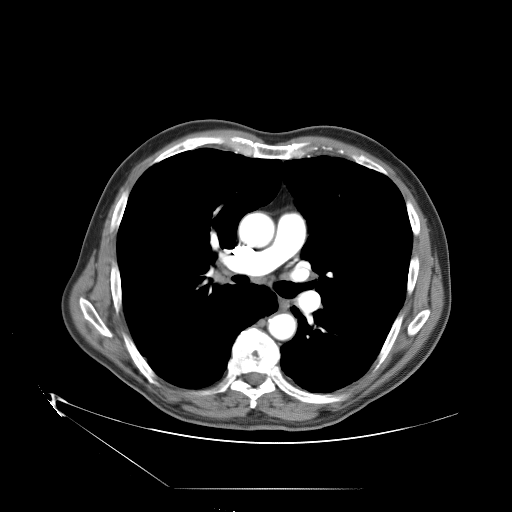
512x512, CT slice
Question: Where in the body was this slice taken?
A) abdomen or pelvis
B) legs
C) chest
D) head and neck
Answer: C) chest
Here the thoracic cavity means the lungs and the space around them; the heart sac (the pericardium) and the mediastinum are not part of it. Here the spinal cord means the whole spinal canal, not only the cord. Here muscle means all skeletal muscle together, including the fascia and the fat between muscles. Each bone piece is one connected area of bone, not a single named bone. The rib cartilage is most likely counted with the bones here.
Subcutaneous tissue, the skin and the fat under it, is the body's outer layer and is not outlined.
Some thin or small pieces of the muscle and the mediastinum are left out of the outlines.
The mediastinum appears in 2 outlined pieces: piece 1: 237 228; 237 237; 243 244; 283 268; 298 261; 306 239; 301 258; 310 264; 310 276; 289 284; 293 294; 298 294; 297 305; 290 307; 297 329; 280 347; 253 325; 271 303; 268 290; 246 277; 230 276; 225 265; 228 252; 237 243; piece 2: 282 180; 283 180; 289 192; 292 195; 294 205; 299 213; 295 209; 295 208; 292 206; 287 206; 279 210; 275 210; 274 211; 266 211; 265 210; 262 210; 261 211; 254 211; 259 207; 266 205; 275 197; 280 189. The pericardium is outlined by 287 207; 294 208; 301 217; 303 218; 306 227; 306 238; 299 248; 299 256; 297 259; 297 261; 290 266; 283 267; 263 258; 243 243; 238 237; 238 226; 243 217; 249 215; 253 212; 261 212; 262 211; 274 212; 275 211; 279 211. The thoracic cavity is outlined by 204 146; 282 161; 340 156; 401 193; 413 235; 405 296; 355 381; 311 392; 279 364; 298 329; 290 284; 311 276; 307 223; 283 179; 239 220; 223 262; 270 303; 236 336; 222 378; 174 385; 137 348; 116 252; 128 198; 148 168. The muscle appears in 2 outlined pieces: piece 1: 210 129; 241 130; 264 142; 235 134; 202 134; 186 137; 157 155; 114 205; 109 231; 116 233; 116 259; 111 261; 109 282; 114 311; 118 314; 122 308; 129 331; 123 331; 121 337; 139 372; 157 387; 160 378; 193 390; 190 392; 198 396; 228 389; 242 393; 249 399; 250 410; 245 416; 227 419; 189 413; 163 402; 84 339; 68 305; 72 286; 86 266; 109 208; 131 170; 171 141; inner edge: 80 297; 83 297; 87 299; 92 304; 102 321; 106 325; 106 326; 112 333; 112 336; 111 337; 109 337; 108 336; 106 336; 105 335; 101 334; 95 328; 95 327; 84 317; 83 313; 81 310; 80 305; 79 304; 79 298; piece 2: 307 135; 354 145; 395 171; 427 220; 441 270; 444 304; 424 345; 390 379; 343 409; 305 421; 287 421; 256 409; 258 398; 277 388; 308 404; 346 400; 351 395; 348 391; 334 392; 358 380; 373 363; 375 372; 389 354; 404 319; 401 308; 406 294; 412 294; 420 268; 418 255; 412 254; 413 236; 420 233; 420 218; 412 201; 404 199; 387 170; 363 153; 343 147; 309 140; 277 144, around a hole outlined by 424 309; 429 309; 429 310; 430 311; 430 312; 429 313; 429 315; 428 316; 427 319; 425 321; 425 322; 423 324; 423 325; 414 335; 408 335; 408 334; 407 333; 407 328; 408 327; 408 325; 409 324; 409 323; 420 311; 421 311. The bones appear in 10 outlined pieces: piece 1: 252 325; 266 333; 278 346; 278 364; 292 384; 311 393; 348 392; 350 395; 342 401; 308 403; 285 394; 277 387; 259 396; 255 407; 251 408; 250 399; 245 394; 230 388; 206 395; 192 393; 194 390; 211 387; 223 378; 237 336; inner edge: 250 372; 257 372; 260 374; 262 374; 264 376; 264 379; 263 380; 263 381; 261 383; 260 383; 258 385; 256 385; 255 386; 254 386; 253 385; 252 385; 251 384; 250 384; 249 383; 248 383; 244 379; 244 376; piece 2: 202 135; 235 135; 255 142; 277 145; 309 141; 316 144; 343 148; 370 158; 383 167; 388 175; 362 165; 346 155; 328 151; 315 150; 299 158; 262 158; 247 156; 217 144; 209 144; 185 150; 149 166; 157 156; 174 144; 189 137; piece 3: 123 332; 125 332; 131 337; 136 348; 138 350; 140 354; 146 360; 149 366; 157 375; 158 377; 157 379; 160 384; 159 386; 157 386; 149 382; 148 380; 140 372; 140 371; 132 360; 125 346; 125 344; 122 337; 122 333; piece 4: 400 310; 401 310; 403 312; 403 314; 404 315; 403 316; 403 319; 402 320; 402 322; 401 323; 399 331; 397 334; 397 336; 388 354; 386 356; 384 360; 380 364; 379 367; 373 372; 374 362; 385 341; 385 339; 391 328; 391 326; piece 5: 80 297; 83 297; 87 299; 92 304; 102 321; 106 325; 106 326; 112 333; 112 336; 111 337; 109 337; 108 336; 106 336; 105 335; 101 334; 95 328; 95 327; 84 317; 83 313; 81 310; 80 305; 79 304; 79 298; piece 6: 113 260; 116 260; 117 261; 117 265; 119 270; 119 276; 120 277; 120 285; 121 286; 121 301; 122 302; 122 307; 118 313; 116 313; 115 311; 115 308; 113 304; 112 294; 111 293; 110 272; 111 271; 111 266; 112 265; 112 261; piece 7: 126 189; 129 190; 129 194; 127 198; 127 201; 125 205; 125 208; 123 211; 123 214; 122 215; 118 229; 116 232; 111 232; 110 231; 110 224; 111 223; 111 218; 113 214; 113 211; 114 210; 115 205; 117 201; 119 199; 122 192; piece 8: 414 254; 417 255; 418 257; 419 260; 419 268; 418 269; 418 273; 417 274; 417 277; 416 278; 416 281; 413 290; 411 294; 408 295; 406 292; 407 291; 407 280; 408 279; 409 265; 410 264; 411 257; 412 255; piece 9: 424 309; 429 309; 429 310; 430 311; 430 312; 429 313; 429 315; 428 316; 427 319; 425 321; 425 322; 423 324; 423 325; 414 335; 408 335; 408 334; 407 333; 407 328; 408 327; 408 325; 409 324; 409 323; 420 311; 421 311; piece 10: 407 199; 411 201; 417 213; 417 215; 419 218; 419 233; 416 236; 413 234; 413 232; 411 228; 411 225; 410 224; 410 221; 409 220; 409 217; 408 216; 408 213; 407 212; 407 207; 406 206; 406 202; 405 201. The torso is outlined by 206 118; 270 132; 312 125; 361 132; 388 148; 414 172; 438 212; 447 239; 451 279; 451 309; 445 329; 427 359; 407 379; 335 425; 286 432; 220 429; 182 422; 160 411; 87 355; 63 323; 61 295; 112 173; 154 134; 178 123. The spinal cord is outlined by 250 372; 257 372; 260 374; 262 374; 264 376; 264 379; 263 380; 263 381; 261 383; 260 383; 258 385; 256 385; 255 386; 254 386; 253 385; 252 385; 251 384; 250 384; 249 383; 248 383; 244 379; 244 376.